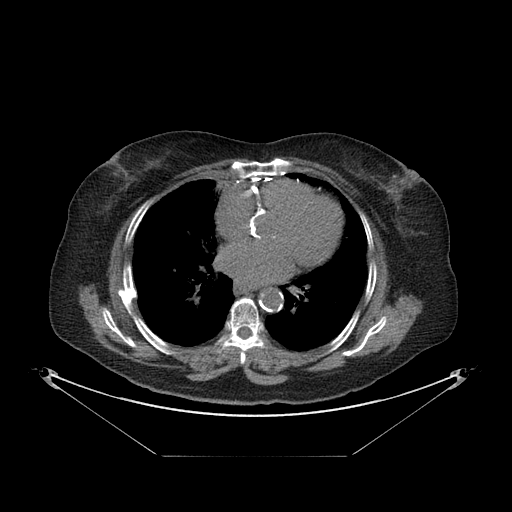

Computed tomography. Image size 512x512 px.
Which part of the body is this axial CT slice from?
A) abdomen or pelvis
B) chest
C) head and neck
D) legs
Answer: B) chest
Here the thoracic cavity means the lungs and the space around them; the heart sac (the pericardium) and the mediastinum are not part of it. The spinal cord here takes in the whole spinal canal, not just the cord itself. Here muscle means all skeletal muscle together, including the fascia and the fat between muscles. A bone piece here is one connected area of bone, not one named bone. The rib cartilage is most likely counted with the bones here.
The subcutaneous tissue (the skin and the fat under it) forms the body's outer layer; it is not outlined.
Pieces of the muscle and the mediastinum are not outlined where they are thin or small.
Outlines:
spinal cord: 242,327 247,327 251,331 251,334 249,336 248,336 246,338 242,338 239,335 238,335 238,333 237,332 238,331 238,330 240,328 241,328
muscle: 273,156 293,156 331,168 365,204 385,249 387,299 393,302 401,293 413,292 423,300 421,312 397,347 377,359 340,371 262,385 251,382 241,367 208,380 194,381 176,370 132,361 103,346 90,331 82,314 78,286 91,282 97,284 101,291 108,291 107,269 113,242 123,222 140,203 124,235 123,245 132,243 131,262 127,261 122,266 122,287 117,294 137,330 161,353 175,355 177,352 172,345 194,347 215,339 213,346 219,354 227,347 238,348 239,363 243,365 249,349 267,349 270,346 269,337 282,348 295,352 323,346 325,349 318,357 331,353 347,340 360,317 361,311 356,308 362,296 366,305 374,292 377,264 373,259 368,263 368,251 373,250 374,240 366,215 360,209 357,212 328,181 290,171 293,162 279,156 267,161 235,159 228,166 228,171 235,176 192,179 153,204 155,199 147,198 174,176 194,166 227,158 with holes at 382,316 385,316 386,317 386,322 384,326 378,332 374,334 372,334 368,338 366,343 360,350 348,356 342,355 341,354 341,353 343,351 345,351 349,349 352,349 358,346 363,340 369,328 376,322 377,322 and at 103,308 106,308 108,310 109,310 112,316 112,318 114,320 116,325 119,328 122,333 124,335 129,336 136,344 137,347 132,347 128,345 124,341 123,341 123,340 106,324 104,320 103,315 102,314 102,309
pericardium: 278,178 299,180 321,186 331,190 338,197 345,216 343,237 340,241 339,246 325,263 285,283 251,282 229,276 223,270 224,266 222,261 218,258 217,253 214,214 218,199 222,192 231,186 245,182 265,181
bones 1: 242,297 251,298 257,306 259,317 264,324 269,340 267,348 259,346 249,348 245,352 245,361 243,364 240,363 240,349 238,347 227,346 219,353 216,351 218,348 214,346 214,342 228,318 232,304 235,300, around a hole outlined by 242,327 247,327 251,331 251,334 249,336 248,336 246,338 242,338 239,335 238,335 238,333 237,332 238,331 238,330 240,328 241,328
bones 2: 127,262 131,263 132,280 136,290 136,297 132,299 133,311 143,320 153,333 171,345 176,352 175,354 168,355 154,347 138,330 132,317 128,313 127,309 122,302 118,294 118,290 123,287 122,270 124,264
bones 3: 275,157 279,157 292,162 292,167 289,172 287,172 283,175 274,176 264,176 263,175 254,176 253,175 246,178 238,178 235,174 233,174 229,171 229,166 235,160 242,162 248,162 252,160 259,162 267,162
bones 4: 356,309 359,309 360,311 360,314 355,324 355,326 353,328 352,331 346,340 341,345 331,352 327,354 325,354 322,356 318,356 318,355 321,354 326,349 324,346 330,342 334,338 335,338 345,327
bones 5: 149,198 153,198 154,199 153,200 153,202 148,208 148,209 144,214 142,219 140,221 134,233 132,242 129,245 124,245 125,235 126,234 127,229 129,226 129,224 135,212 140,206 140,205 143,202 144,202
bones 6: 382,316 385,316 386,317 386,322 384,326 378,332 374,334 372,334 368,338 366,343 360,350 348,356 342,355 341,354 341,353 343,351 345,351 349,349 352,349 358,346 363,340 369,328 376,322 377,322
bones 7: 371,260 373,260 375,261 375,263 376,264 376,281 375,282 374,289 371,295 371,297 369,301 366,304 365,304 364,302 364,291 365,290 365,287 366,286 366,283 367,282 367,278 368,277 368,264
bones 8: 103,308 106,308 108,310 109,310 112,316 112,318 114,320 116,325 119,328 122,333 124,335 129,336 136,344 137,347 132,347 128,345 124,341 123,341 123,340 106,324 104,320 103,315 102,314 102,309
bones 9: 359,210 362,211 365,215 367,219 370,230 371,231 371,235 372,236 372,239 373,240 373,248 372,250 368,250 368,244 367,243 367,238 366,237 365,230 364,229 363,224 361,221 361,219 358,214 358,211
thoracic cavity 1: 202,178 215,182 213,191 216,205 213,220 216,253 223,266 222,270 231,277 231,292 234,300 217,337 206,343 181,346 171,344 153,332 140,315 134,301 137,290 132,271 133,240 141,221 152,205 183,184
thoracic cavity 2: 290,172 326,181 336,188 357,213 367,244 366,282 350,318 330,341 305,351 282,347 269,336 264,321 268,316 284,309 283,285 322,266 334,255 344,237 346,216 339,197 331,189 297,178 284,177
mediastinum 1: 231,278 247,281 251,283 260,283 261,284 285,284 290,282 290,283 287,284 283,284 280,287 284,300 283,309 275,314 268,315 263,321 260,317 258,306 251,297 242,296 235,299 232,292 232,284 233,282
mediastinum 2: 253,176 254,177 260,177 261,176 264,177 283,176 283,177 278,177 265,180 245,181 231,185 221,192 216,202 215,199 216,196 214,191 214,188 216,186 216,182 211,178 207,178 236,177 238,179 246,179
torso: 182,129 252,142 307,132 337,132 373,144 414,169 436,190 448,218 449,258 458,287 458,317 450,336 361,390 313,403 267,405 217,404 156,393 129,382 60,339 48,317 49,275 75,190 89,172 124,145